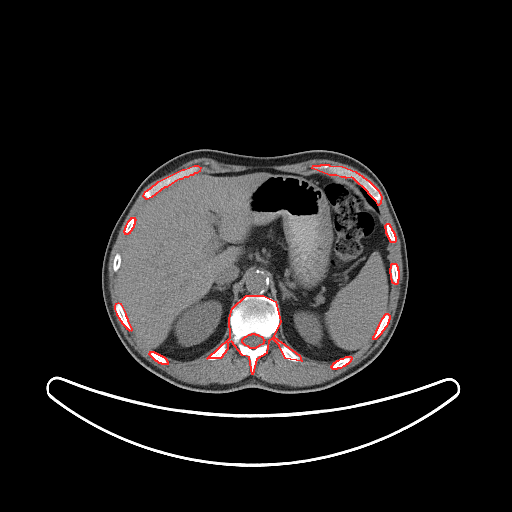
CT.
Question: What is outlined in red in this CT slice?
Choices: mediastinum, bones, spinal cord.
Answer: red: bones.
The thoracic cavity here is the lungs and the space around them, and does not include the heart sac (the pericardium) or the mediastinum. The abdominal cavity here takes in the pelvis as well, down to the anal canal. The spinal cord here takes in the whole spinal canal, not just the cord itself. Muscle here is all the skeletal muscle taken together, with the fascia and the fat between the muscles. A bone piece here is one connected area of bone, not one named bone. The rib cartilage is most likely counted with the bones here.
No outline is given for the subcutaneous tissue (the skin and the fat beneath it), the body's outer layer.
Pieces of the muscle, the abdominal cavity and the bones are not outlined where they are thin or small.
bones 1: [[246,295],[263,295],[275,301],[280,321],[273,336],[299,355],[301,361],[285,358],[279,345],[272,338],[268,341],[266,353],[256,359],[252,374],[249,357],[242,355],[231,341],[227,343],[227,349],[220,358],[207,358],[230,337],[229,318],[232,308]], around a hole outlined by [[252,333],[254,333],[255,334],[257,334],[258,335],[261,336],[264,340],[263,341],[263,343],[262,344],[259,345],[255,348],[250,348],[248,346],[245,345],[242,342],[242,339],[245,336],[246,336],[249,334],[251,334]]
bones 2: [[321,164],[328,164],[329,165],[342,166],[355,171],[369,181],[377,189],[381,196],[380,203],[378,205],[376,201],[368,193],[368,192],[353,178],[351,177],[346,178],[345,177],[341,177],[336,175],[329,175],[312,168],[313,165],[320,165]]
bones 3: [[194,165],[197,165],[200,167],[199,171],[196,173],[194,173],[192,175],[190,175],[187,177],[184,177],[181,179],[179,179],[175,181],[166,187],[164,187],[151,197],[147,199],[146,199],[143,196],[145,191],[150,188],[158,181],[182,169],[184,169]]
bones 4: [[118,302],[120,303],[125,313],[125,315],[127,318],[127,321],[131,328],[131,330],[130,331],[128,329],[127,329],[127,328],[122,323],[122,322],[120,320],[120,319],[117,315],[117,313],[115,309],[115,305],[116,303]]
bones 5: [[386,313],[387,313],[389,315],[389,319],[388,320],[388,322],[387,323],[386,326],[384,328],[384,329],[381,332],[381,333],[375,339],[373,339],[373,336],[376,332],[376,330],[377,329],[377,328],[378,327],[378,326],[379,325],[382,318]]
bones 6: [[346,356],[350,356],[351,357],[351,359],[350,360],[350,361],[347,364],[346,364],[344,366],[343,366],[340,368],[337,368],[336,369],[333,369],[331,367],[331,366],[333,364],[333,363],[334,362],[335,362],[337,360],[338,360],[341,358],[343,358]]
bones 7: [[392,263],[395,263],[396,264],[396,265],[397,266],[397,269],[398,270],[398,279],[397,280],[397,283],[396,284],[395,284],[394,283],[393,283],[392,282],[392,280],[391,279],[391,274],[390,273],[390,268],[391,267],[391,264]]
bones 8: [[150,351],[153,351],[154,352],[155,352],[156,353],[157,353],[158,354],[159,354],[160,355],[161,355],[162,356],[163,356],[166,359],[166,360],[167,361],[167,364],[162,364],[161,363],[159,363],[157,361],[156,361],[149,354],[149,353],[150,352]]
bones 9: [[387,223],[388,223],[389,224],[389,225],[390,226],[391,229],[393,231],[393,232],[394,233],[394,235],[395,236],[395,241],[394,242],[391,242],[390,241],[390,240],[389,239],[389,238],[388,237],[388,236],[386,233],[386,229],[385,228],[385,225]]
bones 10: [[131,217],[134,217],[134,218],[135,219],[135,220],[134,221],[134,224],[133,225],[133,227],[131,229],[131,230],[129,232],[129,233],[128,233],[127,234],[125,234],[125,233],[124,232],[124,230],[125,229],[125,227],[126,226],[128,221],[131,218]]
torso: [[204,148],[253,156],[331,150],[359,160],[380,179],[403,231],[409,278],[403,310],[391,338],[363,369],[316,391],[278,393],[250,387],[208,393],[185,389],[162,379],[138,363],[124,347],[109,319],[101,287],[102,261],[111,231],[148,174],[176,155]]
thoracic cavity: [[363,190],[364,190],[366,192],[367,192],[367,193],[375,201],[375,202],[377,204],[377,206],[378,207],[378,209],[376,209],[368,201],[368,200],[367,199],[367,198],[366,197],[366,196],[364,194],[364,193],[363,192]]
abdominal cavity: [[254,169],[345,178],[378,210],[389,240],[389,301],[371,339],[357,351],[319,361],[292,350],[278,331],[280,309],[264,269],[253,270],[238,286],[230,331],[207,355],[189,361],[165,357],[132,330],[118,294],[118,271],[128,234],[146,200],[198,172]]
spinal cord: [[252,333],[254,333],[255,334],[257,334],[258,335],[261,336],[264,340],[263,341],[263,343],[262,344],[259,345],[255,348],[250,348],[248,346],[245,345],[242,342],[242,339],[245,336],[246,336],[249,334],[251,334]]
muscle 1: [[203,157],[205,158],[210,158],[218,162],[221,162],[226,164],[243,165],[244,166],[278,166],[279,165],[286,165],[287,164],[299,163],[300,162],[303,162],[312,159],[329,159],[334,161],[338,161],[341,163],[347,164],[354,167],[359,171],[367,175],[379,187],[380,190],[382,192],[387,207],[394,222],[397,231],[397,234],[400,241],[400,250],[401,251],[403,277],[402,278],[402,282],[400,288],[400,294],[397,302],[397,307],[391,325],[386,335],[378,346],[364,359],[337,376],[324,382],[314,384],[313,385],[307,385],[306,386],[290,386],[285,384],[270,383],[252,375],[247,376],[239,381],[233,382],[232,383],[226,383],[225,384],[220,384],[219,383],[193,384],[177,379],[165,371],[152,364],[143,357],[129,343],[122,332],[119,325],[117,323],[116,317],[114,314],[114,311],[111,302],[110,292],[109,291],[108,262],[109,261],[110,253],[112,247],[117,238],[119,230],[125,218],[127,216],[138,196],[147,185],[151,182],[165,175],[169,174],[178,168],[182,164],[190,160],[196,158],[202,158]] with a hole at [[321,164],[355,171],[381,196],[377,206],[379,216],[384,226],[389,224],[395,236],[395,241],[388,243],[389,263],[395,263],[398,270],[397,283],[391,283],[385,311],[389,319],[381,333],[350,354],[350,361],[336,369],[331,367],[333,361],[302,355],[301,361],[289,360],[272,338],[266,353],[256,359],[252,374],[249,357],[242,355],[231,341],[217,359],[210,360],[204,355],[189,361],[166,357],[167,364],[156,361],[149,354],[152,350],[127,329],[115,309],[120,298],[118,272],[113,269],[114,257],[124,250],[128,237],[125,227],[131,217],[138,217],[146,201],[145,191],[165,177],[194,165],[200,167],[200,172],[207,173],[272,169],[309,175],[321,173],[312,168]]
muscle 2: [[277,331],[279,332],[279,335],[280,336],[281,334],[281,336],[283,337],[283,339],[285,341],[285,342],[287,343],[289,347],[291,348],[289,348],[288,346],[285,345],[276,335],[274,336],[274,334]]
mediastinum 1: [[255,270],[264,270],[268,273],[268,275],[269,276],[269,283],[272,288],[272,294],[273,295],[273,297],[272,298],[270,298],[268,296],[264,295],[263,294],[246,294],[242,297],[239,297],[238,296],[238,293],[239,292],[239,286],[247,277],[247,276]]
mediastinum 2: [[348,178],[351,178],[352,179],[353,179],[361,187],[362,187],[363,188],[363,189],[362,190],[359,190],[351,182],[350,182],[349,181],[348,181],[347,180],[347,179]]